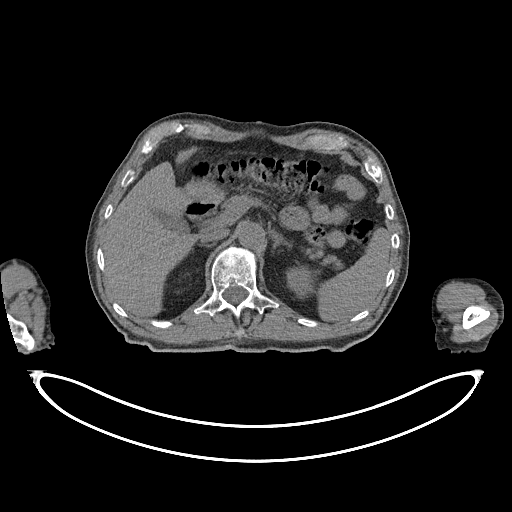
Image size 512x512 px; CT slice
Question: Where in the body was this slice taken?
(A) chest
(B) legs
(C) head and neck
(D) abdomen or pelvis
Answer: (D) abdomen or pelvis
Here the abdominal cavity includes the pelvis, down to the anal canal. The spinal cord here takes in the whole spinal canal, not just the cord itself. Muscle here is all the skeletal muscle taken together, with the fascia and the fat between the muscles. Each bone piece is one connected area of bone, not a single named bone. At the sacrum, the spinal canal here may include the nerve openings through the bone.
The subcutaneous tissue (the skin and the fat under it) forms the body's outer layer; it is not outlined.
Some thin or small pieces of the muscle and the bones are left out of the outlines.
right arm: [[13,257],[21,258],[29,262],[37,270],[42,281],[47,288],[50,297],[51,302],[50,325],[51,330],[54,335],[55,342],[49,349],[45,348],[37,351],[33,354],[22,354],[18,351],[7,317],[0,275],[0,263]]
abdominal cavity: [[181,133],[216,142],[266,138],[298,149],[347,150],[357,156],[378,188],[391,232],[389,268],[371,305],[333,323],[302,316],[258,279],[255,254],[231,244],[211,262],[203,294],[181,313],[170,319],[128,314],[115,301],[104,271],[108,220],[157,144]]
muscle 1: [[173,119],[209,121],[233,131],[262,128],[278,136],[312,128],[332,130],[356,139],[376,155],[395,201],[404,243],[397,282],[371,327],[311,341],[227,338],[174,344],[138,336],[113,316],[97,287],[92,254],[94,232],[101,206],[148,130],[139,151],[151,154],[136,177],[132,168],[122,176],[119,184],[126,189],[114,207],[110,202],[105,207],[103,245],[96,250],[96,263],[105,274],[114,300],[111,305],[121,317],[149,320],[151,325],[166,329],[173,324],[171,319],[204,294],[207,280],[211,292],[192,309],[194,314],[213,317],[229,310],[238,319],[248,308],[262,315],[265,309],[275,309],[280,304],[259,289],[259,278],[271,294],[301,316],[296,321],[303,326],[348,319],[356,322],[369,314],[368,308],[395,277],[390,264],[392,249],[399,248],[400,237],[386,221],[394,219],[395,211],[380,198],[377,185],[383,182],[383,174],[372,156],[368,154],[362,161],[343,149],[350,142],[342,135],[309,135],[305,141],[321,150],[257,136],[216,141],[182,133],[210,134],[207,125],[168,124],[162,122]]
muscle 2: [[451,281],[468,282],[480,286],[484,290],[485,293],[489,296],[498,313],[498,319],[495,327],[486,336],[477,341],[455,343],[452,342],[446,336],[443,330],[443,326],[440,321],[440,317],[436,308],[436,298],[440,289],[444,285],[447,283],[449,283]] with a hole at [[470,305],[479,305],[480,306],[485,308],[487,310],[488,310],[490,313],[489,314],[489,316],[484,320],[483,320],[479,323],[472,326],[468,329],[464,329],[462,327],[462,317],[463,316],[463,311],[466,308],[466,307],[467,307]]
muscle 3: [[15,262],[24,265],[33,273],[41,287],[46,302],[46,306],[47,307],[47,338],[43,344],[36,347],[35,347],[36,340],[28,329],[27,325],[23,321],[14,317],[10,313],[6,311],[0,272],[5,267]]
left arm: [[453,276],[471,276],[483,279],[495,288],[500,294],[503,300],[504,305],[503,321],[500,327],[492,335],[487,347],[483,352],[480,353],[451,353],[447,348],[438,349],[436,347],[436,343],[434,340],[435,326],[431,317],[432,294],[436,286],[440,282]]
spinal cord: [[232,286],[238,286],[239,287],[241,287],[242,288],[245,289],[247,291],[247,295],[245,297],[245,298],[244,299],[243,299],[240,302],[239,302],[237,304],[233,304],[232,303],[227,301],[223,297],[223,293],[224,292],[224,291],[229,287],[231,287]]
torso: [[182,111],[279,125],[338,123],[360,133],[382,153],[409,225],[409,266],[397,300],[371,337],[335,352],[321,349],[303,353],[238,353],[226,349],[154,353],[146,345],[127,342],[114,327],[97,303],[88,278],[85,239],[90,217],[137,134],[153,120]]
bones 1: [[231,245],[245,248],[254,254],[257,265],[257,287],[264,295],[276,301],[278,307],[265,308],[262,314],[255,309],[245,307],[238,318],[229,309],[218,311],[213,316],[205,312],[194,313],[193,309],[203,303],[212,292],[210,280],[212,262],[222,250]], around a hole outlined by [[232,286],[238,286],[239,287],[241,287],[242,288],[245,289],[247,291],[247,295],[245,297],[245,298],[244,299],[243,299],[240,302],[239,302],[237,304],[233,304],[232,303],[227,301],[223,297],[223,293],[224,292],[224,291],[229,287],[231,287]]
bones 2: [[162,123],[165,123],[168,125],[173,123],[181,123],[182,124],[196,123],[207,126],[211,131],[210,133],[206,134],[202,133],[196,134],[189,133],[185,129],[180,133],[173,133],[166,135],[156,144],[151,151],[144,154],[140,150],[149,131],[153,127]]
bones 3: [[7,313],[10,314],[14,318],[23,322],[26,325],[27,329],[35,340],[35,345],[34,346],[34,348],[32,350],[28,351],[28,350],[21,343],[16,343],[14,341],[14,339],[13,338],[13,336],[10,329],[10,325],[9,324],[9,321],[7,317]]
bones 4: [[319,134],[320,135],[330,135],[331,136],[342,136],[349,142],[349,145],[347,147],[345,148],[343,148],[342,149],[330,149],[329,150],[326,150],[320,147],[315,147],[313,145],[308,143],[306,141],[306,139],[309,136],[312,136],[313,135],[318,135]]
bones 5: [[470,305],[479,305],[480,306],[485,308],[487,310],[488,310],[490,313],[489,314],[489,316],[484,320],[483,320],[479,323],[472,326],[468,329],[464,329],[462,327],[462,317],[463,316],[463,311],[466,308],[466,307],[467,307]]
bones 6: [[368,155],[369,155],[373,158],[374,161],[380,167],[381,169],[381,173],[382,174],[382,182],[380,184],[376,184],[373,181],[371,177],[369,175],[368,175],[368,174],[366,172],[366,170],[364,167],[364,164],[363,163],[363,161]]
bones 7: [[128,169],[132,169],[135,172],[135,178],[126,187],[122,187],[121,186],[121,185],[120,184],[120,182],[121,181],[121,180],[122,179],[122,178],[123,177],[123,176],[125,174],[125,173],[126,172],[126,171]]
bones 8: [[153,319],[154,319],[155,320],[169,320],[172,323],[172,324],[170,326],[169,326],[168,327],[167,327],[166,328],[161,328],[160,327],[157,327],[156,326],[155,326],[154,325],[153,325],[152,324],[151,324],[150,323],[150,320],[152,320]]
bones 9: [[300,317],[304,317],[305,318],[308,318],[309,319],[312,319],[313,320],[315,320],[316,321],[317,321],[318,322],[318,324],[316,326],[306,326],[305,325],[303,325],[302,324],[301,324],[300,323],[299,323],[297,321],[297,319],[298,318],[299,318]]
bones 10: [[98,248],[101,248],[101,249],[102,250],[102,251],[103,252],[103,257],[104,258],[104,270],[103,271],[102,271],[99,268],[99,266],[98,265],[98,264],[97,263],[97,250],[98,249]]
bones 11: [[391,267],[392,267],[394,269],[394,277],[393,278],[393,280],[391,282],[391,283],[387,287],[385,287],[384,286],[384,283],[385,282],[385,279],[386,278],[386,275],[387,274],[387,273],[388,272],[388,270]]
bones 12: [[386,203],[388,203],[389,204],[390,204],[391,205],[391,206],[392,207],[392,208],[393,209],[393,210],[394,211],[394,217],[393,218],[393,219],[392,219],[391,220],[390,219],[388,219],[386,217],[386,214],[385,213],[385,211],[384,210],[384,205]]
bones 13: [[366,309],[367,309],[369,311],[369,312],[368,313],[368,314],[365,317],[364,317],[363,318],[362,318],[359,320],[357,320],[356,321],[351,321],[350,320],[350,319],[353,316],[354,316],[356,314],[357,314],[358,313],[361,312],[363,310],[365,310]]
bones 14: [[114,302],[116,302],[120,306],[121,306],[121,307],[126,312],[126,313],[127,314],[127,317],[125,317],[124,316],[121,316],[119,314],[118,314],[115,311],[115,310],[114,309],[114,308],[113,307],[113,306],[112,305],[113,304],[113,303]]